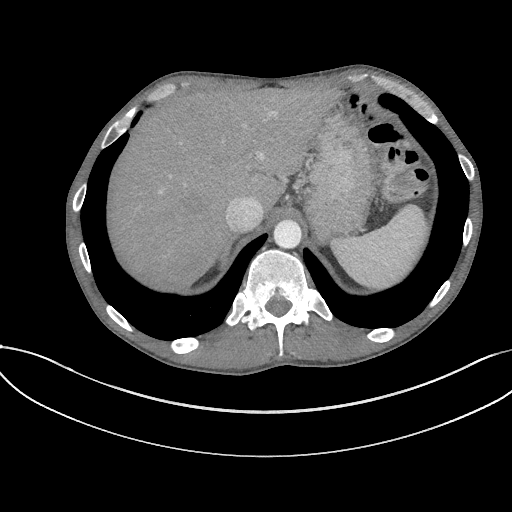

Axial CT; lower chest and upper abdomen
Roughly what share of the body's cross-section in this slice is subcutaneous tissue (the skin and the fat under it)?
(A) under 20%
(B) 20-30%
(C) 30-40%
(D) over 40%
Answer: (A) under 20%
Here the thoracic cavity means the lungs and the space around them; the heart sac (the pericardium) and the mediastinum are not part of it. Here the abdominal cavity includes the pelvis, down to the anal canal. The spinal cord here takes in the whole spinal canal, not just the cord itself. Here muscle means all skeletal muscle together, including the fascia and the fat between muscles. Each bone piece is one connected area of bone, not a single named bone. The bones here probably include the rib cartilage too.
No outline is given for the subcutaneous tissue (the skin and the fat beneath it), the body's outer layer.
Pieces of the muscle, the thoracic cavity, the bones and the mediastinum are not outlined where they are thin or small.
{"muscle":[[[220,369],[243,369],[283,359],[349,359],[393,344],[423,325],[452,295],[469,261],[478,221],[476,174],[469,182],[468,214],[473,232],[449,276],[449,290],[434,307],[426,306],[417,316],[394,328],[396,334],[389,341],[372,342],[365,337],[369,329],[336,317],[328,322],[310,312],[307,326],[291,323],[285,327],[282,357],[277,355],[272,324],[250,331],[241,322],[232,327],[223,322],[197,336],[197,349],[176,354],[169,347],[170,341],[134,327],[128,332],[108,316],[104,308],[107,302],[78,255],[77,246],[83,239],[80,212],[72,210],[71,201],[79,185],[88,179],[101,151],[103,134],[86,161],[70,200],[70,243],[87,293],[107,322],[139,345],[172,361]],[[469,158],[437,111],[419,93],[413,88],[395,78],[384,75],[376,71],[363,68],[350,69],[328,75],[320,75],[278,81],[258,81],[251,79],[233,79],[195,75],[180,75],[170,77],[157,83],[153,87],[145,91],[135,99],[115,120],[120,118],[133,105],[137,105],[139,109],[145,104],[152,102],[148,102],[146,100],[146,96],[158,86],[168,82],[173,82],[177,85],[176,91],[187,89],[248,89],[267,83],[275,83],[278,85],[282,85],[284,87],[323,86],[333,84],[351,83],[352,82],[348,81],[346,78],[348,75],[366,72],[369,74],[380,75],[398,83],[401,83],[417,93],[435,110],[439,117],[439,122],[436,126],[446,136],[456,152],[461,152]]],"mediastinum":[[[304,263],[302,252],[303,249],[305,247],[306,248],[306,245],[303,241],[301,235],[301,229],[297,221],[294,219],[282,219],[278,222],[274,227],[265,232],[267,235],[267,238],[256,253],[265,248],[275,247],[285,251],[288,251],[291,253],[296,253]]],"thoracic_cavity":[[[370,329],[404,323],[428,303],[455,264],[468,207],[468,182],[448,140],[406,102],[389,94],[379,96],[379,102],[402,118],[437,166],[440,197],[424,255],[401,284],[369,297],[354,297],[337,287],[307,249],[303,252],[310,281],[334,315],[349,324]],[[166,340],[196,336],[223,321],[248,263],[266,235],[246,245],[220,282],[203,295],[181,297],[159,294],[138,284],[115,261],[104,224],[107,178],[127,140],[127,131],[102,150],[96,159],[81,209],[82,231],[96,283],[105,299],[132,325],[149,335]]],"abdominal_cavity":[[[181,296],[211,290],[241,249],[282,218],[299,222],[307,248],[347,294],[369,296],[401,283],[431,234],[439,197],[433,159],[401,118],[378,102],[378,90],[363,82],[187,90],[145,105],[128,129],[108,178],[106,231],[116,261],[128,275],[153,291]]],"torso":[[[223,376],[244,376],[282,365],[338,367],[374,358],[419,335],[457,297],[471,269],[482,228],[480,173],[441,109],[405,77],[366,63],[272,77],[172,71],[136,92],[92,141],[69,186],[64,219],[68,258],[84,297],[108,330],[139,351],[173,368]]],"bones":[{"outer":[[279,356],[283,355],[283,332],[287,324],[292,322],[307,325],[310,311],[314,311],[328,321],[334,316],[309,281],[305,265],[297,255],[271,248],[263,250],[251,259],[242,285],[224,322],[230,326],[239,321],[245,322],[250,330],[272,323],[277,331]],"hole":[[276,316],[280,316],[281,315],[284,314],[289,309],[289,308],[291,305],[291,304],[289,301],[286,300],[284,298],[279,298],[278,299],[277,298],[272,298],[268,301],[268,302],[265,306],[266,307],[267,310],[268,310],[271,313],[272,313]]},[[435,125],[438,122],[438,117],[434,110],[417,94],[406,88],[401,84],[398,84],[391,80],[386,79],[380,76],[369,75],[366,73],[358,75],[350,75],[347,77],[348,80],[353,82],[369,78],[376,85],[378,85],[402,98],[426,120]],[[101,149],[103,149],[110,144],[111,144],[127,130],[127,129],[130,125],[131,120],[133,118],[133,117],[138,110],[137,106],[133,106],[131,108],[130,108],[120,119],[115,121],[109,126],[109,127],[105,132],[103,136],[103,138],[100,143],[100,148]],[[176,353],[186,353],[191,350],[193,350],[194,349],[197,348],[199,345],[199,340],[198,339],[198,338],[197,337],[184,337],[183,338],[178,338],[177,339],[174,339],[173,340],[172,340],[170,342],[170,347],[171,348],[171,349],[174,352],[175,352]],[[375,342],[384,342],[385,341],[387,341],[391,338],[392,338],[395,334],[394,329],[393,328],[390,328],[389,327],[384,327],[383,328],[375,328],[374,329],[372,329],[371,330],[370,330],[366,334],[366,337],[368,339],[369,339],[372,341],[374,341]],[[128,331],[132,331],[133,330],[133,326],[132,326],[128,322],[128,321],[118,311],[117,311],[110,304],[107,303],[105,306],[105,308],[106,309],[106,311],[109,315],[109,316],[115,322],[116,322],[120,326],[121,326],[123,328],[126,329]],[[148,101],[153,101],[154,100],[156,100],[163,96],[165,96],[166,95],[168,95],[169,94],[174,92],[176,89],[176,85],[173,83],[168,83],[167,84],[164,84],[163,85],[158,87],[155,90],[154,90],[152,92],[151,92],[147,96],[147,100]],[[75,212],[79,212],[82,206],[82,204],[84,200],[84,197],[86,193],[86,188],[87,187],[87,181],[85,181],[83,182],[80,185],[80,186],[77,189],[77,190],[74,194],[74,196],[73,197],[73,200],[72,201],[72,208]],[[468,181],[472,181],[473,180],[473,179],[474,178],[474,176],[475,175],[475,171],[474,170],[473,165],[472,164],[471,161],[465,155],[464,155],[461,153],[457,153],[457,156],[458,157],[458,159],[459,160],[460,165],[461,166],[461,167],[462,168]],[[428,307],[432,307],[433,306],[434,306],[443,297],[443,296],[446,293],[446,292],[448,290],[448,289],[449,288],[449,286],[450,285],[450,280],[449,279],[449,278],[446,279],[437,290],[437,291],[433,296],[432,299],[427,305],[427,306]],[[90,274],[92,273],[92,270],[91,269],[91,265],[90,264],[90,261],[89,260],[89,256],[88,255],[88,252],[87,251],[85,243],[83,240],[80,242],[78,246],[79,255],[80,256],[81,261],[84,266],[84,268],[86,270],[86,271]],[[463,247],[465,247],[467,245],[467,244],[470,239],[470,237],[471,236],[471,233],[472,232],[472,223],[471,222],[470,217],[468,215],[467,215],[467,216],[465,219],[465,222],[464,223],[464,226],[463,227],[463,235],[462,236],[462,246]]],"spinal_cord":[[[276,316],[280,316],[281,315],[284,314],[289,309],[289,308],[291,305],[291,304],[289,301],[286,300],[284,298],[279,298],[278,299],[277,298],[272,298],[268,301],[268,302],[265,306],[266,307],[267,310],[268,310],[271,313],[272,313]]]}